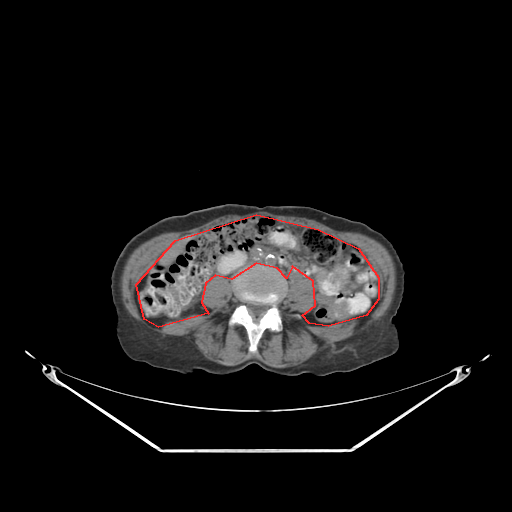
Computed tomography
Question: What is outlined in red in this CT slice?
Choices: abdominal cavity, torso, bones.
Answer: red: abdominal cavity.
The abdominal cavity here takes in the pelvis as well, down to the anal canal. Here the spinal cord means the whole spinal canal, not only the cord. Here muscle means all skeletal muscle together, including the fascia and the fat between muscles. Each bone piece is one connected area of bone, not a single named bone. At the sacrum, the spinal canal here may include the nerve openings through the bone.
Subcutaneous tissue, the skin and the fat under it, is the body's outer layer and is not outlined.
The abdominal cavity is outlined by (256, 214) (318, 229) (358, 248) (378, 277) (378, 299) (366, 315) (328, 326) (309, 323) (302, 315) (315, 305) (313, 281) (292, 266) (286, 278) (277, 268) (256, 263) (231, 279) (215, 275) (205, 283) (201, 302) (208, 313) (158, 327) (144, 319) (136, 284) (175, 240). The torso is outlined by (230, 202) (311, 206) (363, 222) (382, 233) (392, 243) (405, 271) (402, 301) (392, 319) (400, 341) (398, 350) (355, 370) (324, 376) (281, 375) (256, 364) (229, 374) (201, 369) (182, 374) (130, 359) (116, 336) (110, 291) (111, 272) (122, 248) (135, 234) (164, 217). The spinal cord is outlined by (247, 303) (261, 303) (262, 304) (265, 304) (266, 305) (268, 305) (269, 306) (268, 307) (268, 308) (265, 311) (265, 312) (261, 316) (260, 316) (259, 317) (254, 317) (249, 312) (249, 311) (248, 310) (248, 307) (247, 306). The muscle is outlined by (246, 212) (270, 212) (274, 214) (279, 214) (280, 215) (291, 215) (292, 216) (305, 217) (306, 218) (316, 220) (338, 231) (357, 232) (358, 233) (364, 234) (375, 239) (381, 243) (386, 248) (390, 254) (393, 260) (395, 266) (395, 271) (396, 272) (395, 291) (391, 304) (389, 308) (386, 311) (386, 313) (377, 321) (373, 323) (368, 329) (359, 334) (354, 335) (351, 337) (336, 342) (333, 348) (328, 347) (325, 349) (323, 349) (321, 351) (319, 351) (300, 365) (290, 366) (289, 367) (282, 367) (281, 368) (270, 366) (256, 358) (250, 358) (236, 365) (232, 365) (231, 366) (222, 365) (208, 359) (206, 359) (194, 345) (186, 342) (181, 337) (173, 336) (172, 335) (162, 335) (160, 333) (156, 332) (149, 328) (143, 323) (138, 321) (134, 318) (126, 309) (122, 301) (122, 298) (121, 297) (121, 288) (120, 287) (120, 280) (121, 279) (122, 271) (126, 262) (126, 260) (132, 251) (144, 241) (158, 234) (164, 232) (169, 232) (170, 231) (183, 231) (184, 230) (191, 229) (194, 227) (197, 227) (208, 221) (210, 221) (217, 217) (223, 215) (227, 215) (228, 214) (238, 214) (239, 215), around a hole outlined by (256, 214) (358, 248) (378, 277) (378, 299) (366, 315) (309, 323) (302, 315) (315, 305) (314, 283) (290, 266) (277, 305) (282, 329) (265, 329) (255, 352) (246, 329) (228, 324) (240, 300) (221, 275) (201, 291) (208, 313) (158, 327) (144, 319) (136, 284) (175, 240). The bones are outlined by (256, 264) (273, 267) (280, 271) (287, 281) (287, 289) (285, 296) (277, 305) (282, 319) (282, 329) (280, 331) (265, 329) (257, 344) (257, 350) (251, 352) (248, 350) (249, 341) (246, 329) (241, 324) (230, 326) (228, 320) (240, 303) (232, 284) (232, 277) (245, 267); inner edge: (247, 303) (261, 303) (262, 304) (265, 304) (266, 305) (268, 305) (269, 306) (268, 307) (268, 308) (265, 311) (265, 312) (261, 316) (260, 316) (259, 317) (254, 317) (249, 312) (249, 311) (248, 310) (248, 307) (247, 306).